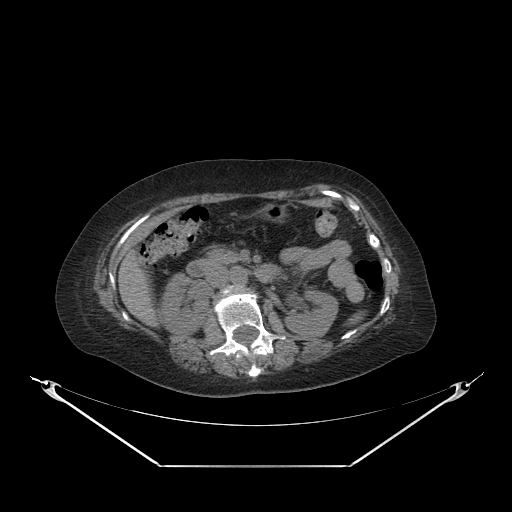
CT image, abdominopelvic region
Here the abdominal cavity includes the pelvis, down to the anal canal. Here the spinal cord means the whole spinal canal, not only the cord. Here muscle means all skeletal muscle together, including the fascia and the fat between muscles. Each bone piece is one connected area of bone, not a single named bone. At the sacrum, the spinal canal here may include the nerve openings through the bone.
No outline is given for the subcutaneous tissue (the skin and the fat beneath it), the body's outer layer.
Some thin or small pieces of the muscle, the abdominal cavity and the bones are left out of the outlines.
Outlines (x, y in pixels):
abdominal cavity: [[255,197],[312,206],[341,202],[352,212],[385,273],[384,296],[371,319],[339,337],[302,337],[286,331],[271,300],[265,298],[261,310],[259,296],[244,292],[212,304],[203,337],[177,331],[163,337],[123,309],[116,269],[125,252],[154,226],[196,203]]
bones 1: [[244,293],[254,293],[258,296],[257,303],[264,327],[269,332],[284,335],[286,338],[272,341],[272,353],[255,355],[251,359],[245,355],[241,355],[237,359],[234,354],[228,356],[223,352],[210,354],[212,349],[220,346],[226,340],[213,304],[227,296]], around a hole outlined by [[245,325],[247,325],[248,326],[251,326],[255,328],[258,331],[258,334],[257,336],[249,344],[249,345],[245,345],[244,344],[242,344],[236,341],[233,337],[234,335],[234,331],[236,329],[242,326],[244,326]]
bones 2: [[321,190],[333,190],[342,194],[346,197],[347,196],[349,197],[359,206],[359,210],[358,211],[354,211],[350,209],[348,207],[345,201],[342,201],[339,199],[334,198],[329,195],[325,195],[324,194],[322,194],[320,192]]
bones 3: [[147,213],[149,214],[149,216],[148,218],[146,219],[143,222],[142,222],[127,237],[125,241],[118,249],[116,249],[115,246],[117,242],[119,240],[120,237],[123,234],[123,233],[137,220],[138,220],[141,217],[142,217],[145,214]]
bones 4: [[370,233],[373,233],[379,239],[379,241],[380,242],[380,245],[377,248],[374,248],[373,247],[372,247],[372,246],[371,245],[370,245],[370,244],[368,242],[368,235]]
bones 5: [[252,360],[255,363],[255,364],[259,368],[261,368],[261,369],[262,370],[261,371],[261,372],[257,376],[250,376],[247,373],[247,372],[250,369],[250,367],[251,366],[251,364],[252,363]]
bones 6: [[385,296],[388,296],[389,297],[389,301],[390,302],[390,304],[389,305],[389,307],[388,308],[388,309],[382,315],[380,315],[379,314],[379,311],[380,310],[380,308],[381,307],[381,305],[382,304],[382,302],[383,301],[383,300],[384,299],[384,297]]
bones 7: [[355,328],[356,328],[356,331],[353,334],[352,334],[349,337],[348,337],[347,338],[345,338],[344,339],[341,339],[340,338],[340,337],[343,334],[344,334],[346,332],[347,332],[348,331],[349,331],[350,330],[351,330],[352,329],[354,329]]
bones 8: [[122,311],[125,311],[126,312],[126,313],[132,319],[132,320],[133,321],[133,322],[132,323],[131,323],[130,322],[129,322],[128,321],[127,321],[126,320],[125,320],[124,319],[124,318],[123,317],[123,316],[122,315]]
muscle: [[314,183],[325,183],[326,184],[336,185],[350,191],[358,197],[365,205],[371,215],[381,228],[386,240],[391,247],[392,253],[399,264],[400,268],[399,286],[398,287],[398,292],[395,295],[395,299],[394,300],[394,306],[395,307],[393,311],[395,314],[395,319],[391,323],[386,325],[377,332],[374,333],[371,337],[362,340],[357,343],[354,343],[350,347],[339,351],[329,357],[322,359],[317,362],[314,362],[307,365],[294,365],[290,368],[288,368],[283,371],[280,371],[275,374],[262,375],[256,381],[247,381],[246,379],[234,379],[230,377],[222,376],[214,372],[210,374],[199,374],[180,367],[172,360],[167,351],[165,351],[149,337],[144,334],[140,334],[137,332],[133,332],[127,330],[120,326],[118,324],[117,320],[99,303],[98,296],[93,288],[93,280],[94,279],[97,261],[101,253],[118,229],[123,224],[133,218],[140,212],[145,211],[152,207],[156,203],[177,196],[185,196],[186,195],[199,194],[206,192],[210,192],[211,193],[214,192],[259,193],[260,192],[281,190],[282,189],[294,189]] with holes at [[321,190],[336,191],[359,206],[358,211],[351,211],[353,215],[367,236],[373,233],[379,239],[375,250],[391,264],[384,287],[388,309],[358,325],[349,337],[293,335],[267,298],[261,307],[264,327],[286,338],[272,341],[272,353],[251,359],[209,353],[226,340],[210,308],[201,338],[177,331],[163,337],[134,319],[132,323],[124,319],[109,272],[115,274],[125,252],[154,226],[196,203],[256,197],[329,206],[342,201]] and at [[147,213],[149,214],[149,216],[148,218],[146,219],[143,222],[142,222],[127,237],[125,241],[118,249],[116,249],[115,246],[117,242],[119,240],[120,237],[123,234],[123,233],[137,220],[138,220],[141,217],[142,217],[145,214]] and at [[252,360],[255,363],[255,364],[259,368],[261,368],[261,369],[262,370],[261,371],[261,372],[257,376],[250,376],[247,373],[247,372],[250,369],[250,367],[251,366],[251,364],[252,363]]
torso: [[217,158],[326,161],[348,167],[376,185],[414,239],[425,265],[437,317],[427,344],[416,352],[405,354],[363,375],[333,385],[297,392],[223,398],[190,395],[164,388],[78,349],[59,321],[54,295],[62,262],[87,221],[112,196],[141,178],[177,164]]
spinal cord: [[245,325],[247,325],[248,326],[251,326],[255,328],[258,331],[258,334],[257,336],[249,344],[249,345],[245,345],[244,344],[242,344],[236,341],[233,337],[234,335],[234,331],[236,329],[242,326],[244,326]]